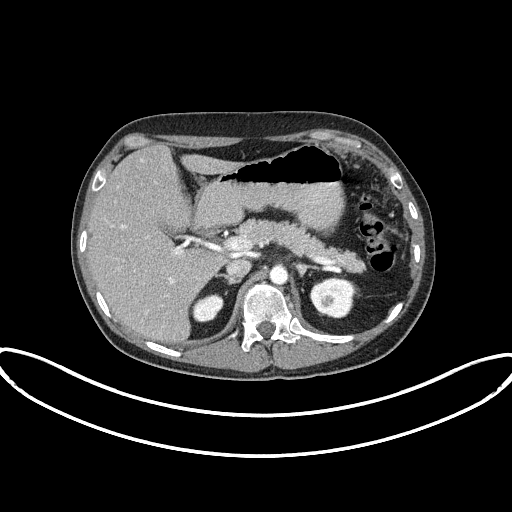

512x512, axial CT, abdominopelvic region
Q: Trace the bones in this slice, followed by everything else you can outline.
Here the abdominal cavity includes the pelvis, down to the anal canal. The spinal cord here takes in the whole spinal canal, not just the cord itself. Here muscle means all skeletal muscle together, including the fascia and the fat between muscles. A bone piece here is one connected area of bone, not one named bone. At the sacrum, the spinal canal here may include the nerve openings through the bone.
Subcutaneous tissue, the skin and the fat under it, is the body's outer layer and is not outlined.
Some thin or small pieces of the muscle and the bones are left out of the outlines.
A: Outlines:
bones 1: 244 351; 247 351; 256 341; 260 341; 267 346; 277 339; 294 343; 301 335; 305 335; 319 341; 343 343; 353 339; 354 335; 317 333; 306 329; 298 318; 291 314; 282 292; 265 282; 261 282; 248 289; 242 303; 243 336; 241 347; inner edge: 265 337; 268 337; 272 333; 272 332; 273 331; 273 330; 274 329; 274 325; 272 323; 271 323; 270 322; 269 322; 268 321; 264 321; 263 322; 262 322; 260 324; 259 324; 257 326; 257 329; 259 331; 259 332; 263 336; 264 336
bones 2: 359 148; 361 147; 362 145; 359 141; 348 137; 336 135; 333 133; 331 133; 327 130; 324 130; 323 131; 317 130; 310 133; 310 136; 313 138; 322 138; 323 139; 330 139; 331 140; 335 140; 341 142; 346 142; 347 143; 350 143
bones 3: 92 191; 97 191; 105 183; 105 180; 106 179; 106 176; 107 175; 107 173; 106 172; 106 169; 105 168; 105 167; 103 167; 102 168; 99 169; 94 175; 94 177; 93 178; 93 180; 92 181; 92 183; 91 184; 91 189; 92 190
bones 4: 174 356; 179 356; 181 354; 181 353; 179 351; 175 350; 172 348; 169 348; 163 345; 161 345; 160 344; 149 341; 148 340; 145 341; 146 345; 147 345; 150 348; 154 350; 156 350; 163 353; 166 353; 170 355; 173 355
bones 5: 130 148; 131 147; 135 147; 139 145; 142 145; 148 142; 149 140; 147 138; 141 135; 130 135; 126 137; 124 139; 124 141; 123 142; 125 146; 127 147; 129 147
bones 6: 398 189; 400 189; 402 187; 402 179; 401 178; 401 176; 400 175; 400 174; 397 171; 396 171; 392 167; 389 167; 388 168; 388 174; 389 175; 389 180; 390 181; 390 182; 396 188; 397 188
bones 7: 114 321; 116 321; 116 319; 112 316; 112 314; 110 312; 109 308; 107 304; 105 302; 105 300; 103 298; 101 293; 99 291; 97 291; 96 292; 96 297; 97 298; 97 301; 100 307; 103 310; 104 313; 107 316; 111 317
bones 8: 385 323; 387 323; 388 322; 389 322; 392 319; 393 319; 397 315; 397 314; 399 312; 399 311; 401 309; 401 308; 403 305; 403 303; 401 301; 398 302; 392 308; 392 309; 390 311; 390 312; 388 314; 388 315; 383 320; 383 321
torso: 240 381; 301 379; 367 365; 387 355; 405 338; 426 305; 433 285; 436 259; 428 202; 388 142; 357 119; 314 110; 191 111; 148 115; 117 129; 99 150; 81 181; 71 221; 71 262; 81 296; 106 339; 124 354; 156 367; 189 375
muscle: 244 372; 256 372; 270 365; 276 366; 283 369; 295 369; 300 367; 305 367; 306 366; 314 365; 326 361; 333 360; 336 358; 344 356; 363 346; 396 322; 406 312; 414 298; 414 296; 420 284; 420 281; 422 276; 423 265; 425 260; 425 241; 424 240; 423 218; 420 212; 419 207; 416 202; 416 200; 410 191; 401 172; 391 159; 385 153; 367 139; 358 135; 337 129; 313 128; 312 129; 308 129; 307 130; 303 130; 302 131; 293 132; 287 134; 282 134; 281 135; 265 135; 264 136; 202 136; 201 135; 185 135; 184 134; 148 134; 141 132; 134 132; 127 134; 122 137; 113 146; 109 152; 99 163; 89 181; 86 190; 82 213; 79 221; 79 226; 77 231; 76 253; 77 254; 78 263; 81 270; 81 273; 87 291; 100 315; 110 329; 125 340; 136 345; 138 347; 144 350; 146 350; 155 355; 175 361; 185 362; 186 363; 190 363; 191 364; 200 365; 201 366; 206 366; 207 367; 213 367; 214 368; 234 369, around a hole outlined by 174 356; 181 354; 175 348; 206 343; 226 334; 235 337; 239 329; 231 330; 240 312; 244 351; 256 341; 267 346; 277 339; 294 343; 301 335; 343 343; 353 339; 354 333; 393 319; 403 305; 414 277; 414 263; 419 260; 412 220; 417 218; 417 212; 412 202; 407 206; 404 203; 398 191; 402 187; 400 174; 392 167; 387 174; 359 148; 362 145; 359 141; 327 130; 311 132; 313 138; 308 140; 246 140; 211 148; 150 142; 141 135; 126 137; 123 143; 130 149; 114 163; 110 173; 103 167; 94 175; 91 189; 98 195; 88 231; 81 233; 79 250; 87 253; 99 289; 97 301; 104 313; 144 337; 150 348
abdominal cavity: 175 348; 229 333; 245 292; 261 281; 281 290; 301 323; 313 331; 356 333; 381 321; 403 301; 414 277; 413 221; 382 166; 350 144; 322 139; 246 140; 211 148; 154 141; 126 151; 94 202; 88 223; 88 261; 113 315; 142 337
spinal cord: 265 337; 268 337; 272 333; 272 332; 273 331; 273 330; 274 329; 274 325; 272 323; 271 323; 270 322; 269 322; 268 321; 264 321; 263 322; 262 322; 260 324; 259 324; 257 326; 257 329; 259 331; 259 332; 263 336; 264 336